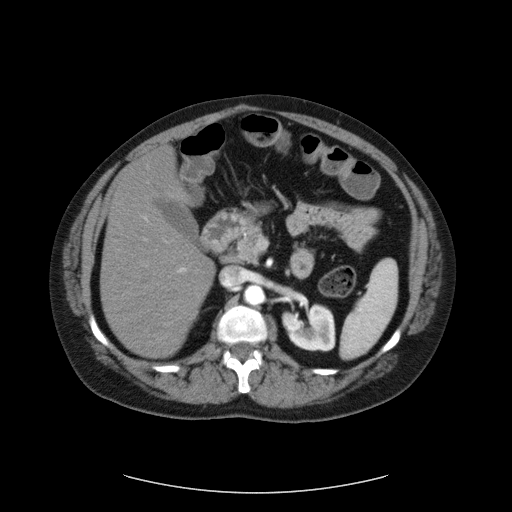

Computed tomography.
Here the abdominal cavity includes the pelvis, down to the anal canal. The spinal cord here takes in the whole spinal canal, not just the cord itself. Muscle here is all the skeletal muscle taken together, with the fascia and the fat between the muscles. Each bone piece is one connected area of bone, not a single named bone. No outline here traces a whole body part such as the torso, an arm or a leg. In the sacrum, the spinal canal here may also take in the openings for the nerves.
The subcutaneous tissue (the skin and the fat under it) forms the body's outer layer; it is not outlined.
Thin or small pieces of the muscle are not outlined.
Outlines (x, y in pixels):
abdominal cavity: 242 111; 283 116; 369 155; 393 178; 409 205; 412 235; 405 311; 381 347; 354 365; 302 365; 277 343; 275 318; 240 303; 218 312; 208 340; 174 363; 132 357; 112 343; 98 325; 91 293; 96 245; 111 198; 129 167; 168 142
muscle: 241 103; 312 116; 359 136; 417 186; 432 213; 441 282; 429 322; 390 371; 331 401; 280 408; 259 404; 245 394; 251 390; 251 371; 264 362; 259 348; 268 338; 264 316; 269 314; 276 322; 278 346; 316 375; 334 375; 392 349; 401 338; 399 325; 410 296; 413 215; 402 189; 376 159; 283 115; 242 110; 136 159; 110 198; 90 276; 93 313; 88 324; 93 336; 108 348; 111 342; 126 355; 153 363; 151 368; 160 373; 177 373; 181 366; 175 363; 209 340; 216 315; 224 311; 216 325; 216 338; 225 347; 220 363; 235 372; 241 394; 223 403; 192 404; 147 392; 95 357; 66 297; 64 248; 98 179; 146 139
bones 1: 240 304; 260 312; 265 320; 267 327; 267 338; 258 346; 262 354; 263 362; 258 369; 253 369; 250 371; 247 377; 250 390; 244 394; 238 391; 238 376; 236 372; 221 363; 223 352; 226 347; 217 338; 217 325; 222 314; 229 308 with a hole at 239 342; 247 342; 248 343; 250 343; 253 346; 253 349; 249 354; 248 357; 246 359; 245 359; 244 360; 240 360; 238 358; 233 356; 232 355; 232 354; 231 353; 231 351; 230 350; 230 347; 233 344; 235 344; 236 343; 238 343
bones 2: 91 313; 92 313; 94 315; 94 317; 95 318; 95 320; 97 323; 97 325; 109 341; 109 343; 110 344; 110 347; 108 347; 107 346; 104 345; 101 342; 100 342; 94 336; 94 335; 91 330; 90 325; 89 324; 89 316
bones 3: 397 327; 399 327; 400 328; 400 338; 399 339; 398 342; 392 348; 391 348; 389 350; 388 350; 381 354; 379 354; 378 355; 378 353; 379 352; 380 349; 382 347; 382 346; 390 338; 390 337; 392 335; 392 334; 394 332; 394 331
bones 4: 155 364; 157 364; 158 365; 163 365; 164 364; 176 364; 177 365; 179 365; 180 366; 180 369; 177 372; 160 372; 159 371; 157 371; 156 370; 155 370; 154 369; 153 369; 152 368; 152 366; 153 365; 154 365
bones 5: 312 368; 337 368; 338 369; 339 369; 339 370; 336 373; 335 373; 334 374; 329 374; 328 375; 321 375; 320 374; 316 374; 315 373; 313 373; 311 371; 311 369
spinal cord: 239 342; 247 342; 248 343; 250 343; 253 346; 253 349; 249 354; 248 357; 246 359; 245 359; 244 360; 240 360; 238 358; 233 356; 232 355; 232 354; 231 353; 231 351; 230 350; 230 347; 233 344; 235 344; 236 343; 238 343